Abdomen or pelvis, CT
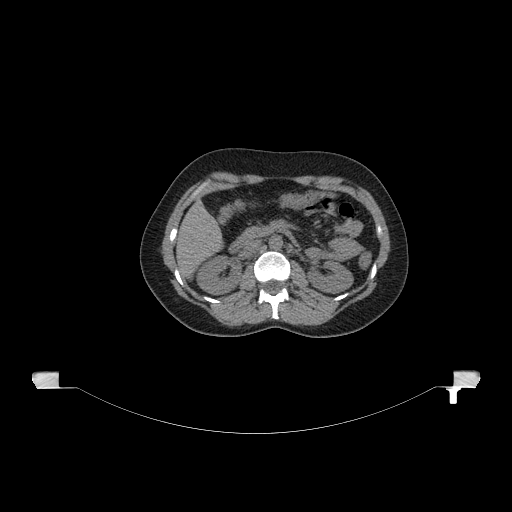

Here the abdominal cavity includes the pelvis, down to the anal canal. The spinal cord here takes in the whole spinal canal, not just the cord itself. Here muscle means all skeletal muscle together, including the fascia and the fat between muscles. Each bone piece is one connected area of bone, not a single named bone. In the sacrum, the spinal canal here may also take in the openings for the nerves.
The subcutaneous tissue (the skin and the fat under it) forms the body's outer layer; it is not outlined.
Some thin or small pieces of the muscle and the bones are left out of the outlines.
The abdominal cavity is outlined by [[273,179],[345,192],[365,207],[373,219],[379,247],[362,283],[335,296],[326,295],[308,286],[306,273],[299,263],[271,249],[247,264],[239,280],[239,289],[228,295],[218,298],[203,295],[183,280],[174,257],[174,241],[180,219],[192,201],[243,183]]. The torso is outlined by [[225,147],[331,151],[351,157],[368,167],[391,196],[407,237],[407,278],[400,295],[389,309],[360,330],[321,338],[303,336],[281,328],[269,328],[235,337],[213,336],[186,327],[168,313],[150,291],[140,269],[139,246],[143,230],[176,175],[196,157]]. The spinal cord is outlined by [[269,280],[276,280],[277,281],[279,281],[282,283],[282,286],[281,287],[281,288],[280,289],[280,290],[278,292],[277,292],[275,294],[271,294],[270,293],[269,293],[268,292],[267,292],[265,290],[265,289],[263,286],[263,284]]. The muscle is outlined by [[213,171],[257,175],[331,175],[346,178],[366,189],[382,211],[390,238],[388,257],[379,270],[375,288],[366,297],[349,305],[330,320],[319,325],[294,325],[277,320],[279,319],[279,304],[291,299],[285,283],[291,274],[290,261],[295,261],[303,269],[309,288],[333,297],[333,301],[342,300],[349,295],[352,289],[362,284],[368,276],[370,280],[375,277],[378,270],[375,260],[380,247],[379,239],[383,234],[381,225],[375,224],[366,207],[345,191],[322,188],[313,184],[306,185],[290,179],[273,178],[255,183],[243,182],[233,187],[210,191],[196,197],[209,183],[210,180],[206,179],[189,195],[188,200],[191,202],[183,211],[177,226],[172,227],[169,231],[168,239],[171,243],[173,242],[173,257],[176,266],[173,275],[181,286],[185,283],[202,295],[203,300],[219,304],[221,302],[219,298],[240,289],[242,274],[248,264],[253,263],[253,275],[261,284],[258,289],[257,303],[268,303],[273,319],[230,327],[221,324],[203,308],[180,296],[171,283],[171,273],[163,262],[161,244],[165,227],[183,193]]. The bones appear in 7 outlined pieces: piece 1: [[269,250],[282,253],[290,264],[290,274],[288,279],[284,283],[287,287],[290,299],[284,300],[278,304],[278,319],[272,318],[272,307],[268,302],[263,301],[261,303],[258,303],[259,289],[262,284],[256,279],[253,271],[253,265],[256,259],[263,252]], around a hole outlined by [[269,280],[276,280],[277,281],[279,281],[282,283],[282,286],[281,287],[281,288],[280,289],[280,290],[278,292],[277,292],[275,294],[271,294],[270,293],[269,293],[268,292],[267,292],[265,290],[265,289],[263,286],[263,284]]; piece 2: [[206,180],[209,180],[209,181],[208,182],[208,183],[205,186],[204,186],[200,190],[200,191],[195,196],[195,197],[194,198],[193,198],[191,200],[189,200],[189,197],[190,196],[190,195],[204,181],[205,181]]; piece 3: [[374,262],[375,262],[375,263],[376,264],[376,268],[377,269],[377,270],[376,271],[376,273],[375,274],[375,275],[374,276],[374,277],[372,279],[370,279],[369,278],[369,274],[370,273],[370,270],[371,269],[371,267],[372,266],[372,265]]; piece 4: [[175,268],[177,268],[178,269],[178,271],[179,272],[179,274],[180,275],[180,276],[181,277],[181,278],[182,279],[182,280],[184,283],[184,284],[183,285],[181,285],[178,282],[178,281],[176,279],[176,278],[174,275],[174,270],[175,269]]; piece 5: [[174,227],[176,227],[177,228],[177,232],[176,233],[176,235],[175,236],[175,238],[174,239],[174,240],[172,242],[171,242],[170,241],[170,240],[169,239],[169,235],[170,234],[170,231],[172,229],[172,228],[173,228]]; piece 6: [[203,296],[208,296],[209,297],[211,297],[212,298],[215,298],[216,299],[218,299],[220,301],[220,302],[219,303],[214,303],[213,302],[209,302],[208,301],[207,301],[206,300],[205,300],[204,299],[203,299],[202,298],[202,297]]; piece 7: [[345,292],[348,292],[348,295],[347,296],[346,296],[344,298],[343,298],[342,299],[340,299],[339,300],[333,300],[333,298],[334,297],[335,297],[336,296],[337,296],[338,295],[339,295],[340,294],[342,294],[343,293],[344,293]].